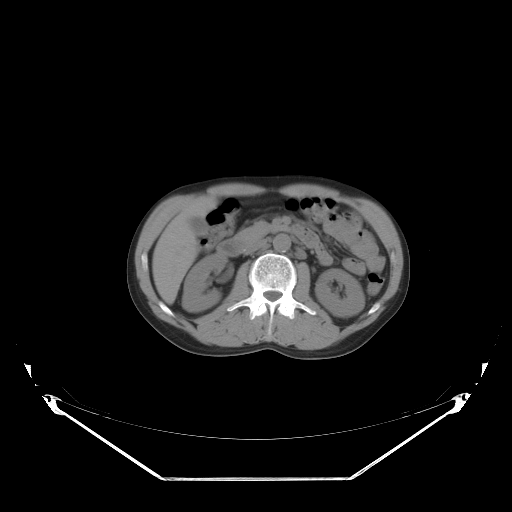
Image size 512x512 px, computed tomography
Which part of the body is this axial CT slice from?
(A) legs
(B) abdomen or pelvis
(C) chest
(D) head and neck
(B) abdomen or pelvis
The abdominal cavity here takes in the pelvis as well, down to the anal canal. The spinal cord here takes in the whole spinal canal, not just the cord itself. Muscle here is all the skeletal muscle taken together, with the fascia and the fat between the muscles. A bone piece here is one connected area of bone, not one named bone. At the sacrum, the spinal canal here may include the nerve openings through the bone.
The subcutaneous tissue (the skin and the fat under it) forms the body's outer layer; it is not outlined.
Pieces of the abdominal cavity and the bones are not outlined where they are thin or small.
{"muscle":[{"outer":[[231,182],[249,183],[250,184],[254,184],[267,188],[278,188],[282,186],[285,186],[289,184],[294,184],[295,183],[317,184],[323,186],[338,188],[347,194],[360,196],[366,198],[369,200],[371,200],[380,206],[388,215],[396,229],[396,231],[400,240],[400,243],[402,248],[402,253],[403,254],[403,267],[402,268],[402,273],[401,274],[401,278],[399,282],[398,289],[394,295],[387,302],[385,309],[380,315],[373,322],[367,326],[350,334],[337,344],[321,349],[312,349],[311,350],[308,350],[307,349],[298,349],[293,345],[283,346],[272,341],[262,341],[255,344],[248,344],[245,343],[242,346],[239,346],[238,347],[226,347],[225,346],[218,346],[217,345],[206,345],[195,339],[187,332],[158,318],[153,313],[152,310],[150,308],[147,302],[147,298],[139,286],[139,282],[136,275],[135,263],[134,262],[134,256],[135,255],[136,245],[141,230],[146,220],[153,210],[163,200],[172,195],[175,195],[176,194],[188,194],[194,192],[204,191],[210,186],[216,185],[217,184],[222,184],[223,183],[230,183]],"hole":[[265,193],[337,199],[363,216],[389,257],[387,283],[374,312],[366,311],[345,325],[336,323],[311,296],[310,267],[305,261],[294,264],[296,283],[291,293],[316,313],[297,307],[291,319],[275,311],[270,333],[267,312],[251,319],[247,306],[227,310],[252,293],[249,260],[238,267],[229,292],[211,311],[188,318],[176,311],[171,316],[160,307],[141,255],[148,255],[166,223],[184,206],[208,195]]}],"spinal_cord":[[[267,291],[277,291],[278,292],[279,292],[280,293],[281,293],[281,295],[278,298],[277,298],[275,300],[270,300],[269,299],[268,299],[267,298],[266,298],[264,296],[264,293],[265,292],[266,292]]],"torso":[[[240,173],[302,173],[334,178],[371,193],[394,215],[408,243],[409,286],[398,311],[361,347],[342,356],[317,360],[291,358],[269,349],[237,356],[203,356],[182,350],[166,340],[138,312],[126,283],[126,258],[132,235],[142,216],[162,194],[177,186]]],"abdominal_cavity":[[[265,193],[337,199],[361,214],[375,231],[389,257],[388,279],[380,297],[357,319],[345,325],[336,323],[310,294],[309,265],[305,261],[294,265],[285,254],[272,251],[244,261],[227,295],[207,313],[188,318],[158,297],[148,254],[176,213],[208,195]]],"bones":[{"outer":[[268,252],[285,255],[291,260],[296,272],[292,296],[316,312],[312,315],[297,307],[291,319],[275,311],[270,333],[268,332],[269,314],[267,312],[251,319],[247,306],[227,310],[229,306],[247,298],[252,293],[253,289],[248,278],[251,264],[257,257]],"hole":[[267,291],[277,291],[278,292],[279,292],[280,293],[281,293],[281,295],[278,298],[277,298],[275,300],[270,300],[269,299],[268,299],[267,298],[266,298],[264,296],[264,293],[265,292],[266,292]]},[[159,301],[161,301],[162,302],[163,302],[163,303],[164,304],[165,304],[174,313],[174,316],[171,316],[170,315],[169,315],[167,313],[166,313],[160,307],[160,306],[158,304],[158,302]],[[375,302],[378,302],[379,303],[379,307],[374,312],[373,312],[372,313],[371,313],[370,314],[368,314],[368,310],[372,306],[372,305]]]}